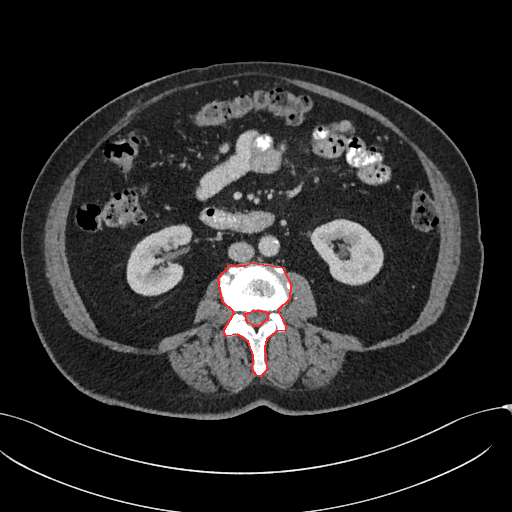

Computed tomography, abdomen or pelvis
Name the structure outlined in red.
red: bones.
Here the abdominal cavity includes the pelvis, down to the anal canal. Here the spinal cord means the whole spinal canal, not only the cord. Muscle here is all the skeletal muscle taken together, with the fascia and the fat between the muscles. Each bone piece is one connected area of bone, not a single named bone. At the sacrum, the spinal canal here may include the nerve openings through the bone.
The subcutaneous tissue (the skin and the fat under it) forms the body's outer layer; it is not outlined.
Outlines (x, y in pixels):
bones: (251, 262) (282, 267) (290, 284) (289, 299) (277, 310) (285, 325) (285, 330) (276, 331) (266, 339) (264, 346) (266, 370) (260, 376) (256, 375) (252, 369) (253, 355) (248, 341) (237, 334) (226, 336) (223, 331) (234, 312) (222, 301) (218, 278) (229, 265) (245, 265), around a hole outlined by (253, 310) (261, 310) (262, 311) (265, 311) (266, 312) (267, 312) (268, 313) (268, 314) (267, 315) (267, 320) (264, 321) (260, 325) (259, 325) (258, 326) (254, 326) (253, 325) (248, 323) (246, 320) (246, 317) (245, 316) (244, 313) (247, 313) (248, 312) (250, 312)
spinal cord: (253, 310) (261, 310) (262, 311) (265, 311) (266, 312) (267, 312) (268, 313) (268, 314) (267, 315) (267, 320) (264, 321) (260, 325) (259, 325) (258, 326) (254, 326) (253, 325) (248, 323) (246, 320) (246, 317) (245, 316) (244, 313) (247, 313) (248, 312) (250, 312)
abdominal cavity: (250, 75) (273, 77) (358, 110) (415, 153) (439, 219) (437, 259) (417, 318) (375, 343) (325, 328) (311, 321) (318, 308) (303, 275) (251, 261) (229, 264) (207, 284) (193, 326) (149, 347) (103, 335) (76, 288) (66, 251) (66, 222) (80, 171) (106, 140) (164, 97)
torso: (248, 60) (300, 63) (357, 77) (411, 104) (454, 141) (476, 180) (484, 246) (481, 285) (469, 328) (433, 374) (390, 395) (345, 409) (288, 415) (262, 405) (223, 419) (190, 419) (102, 403) (62, 375) (30, 318) (19, 232) (31, 186) (65, 135) (109, 100) (175, 71)
muscle: (246, 71) (267, 72) (311, 82) (345, 94) (375, 109) (395, 124) (437, 166) (450, 186) (459, 211) (461, 227) (460, 262) (455, 278) (448, 293) (444, 309) (437, 320) (421, 332) (412, 335) (407, 340) (399, 344) (365, 352) (349, 351) (345, 356) (345, 360) (341, 370) (335, 377) (328, 384) (315, 389) (281, 389) (267, 384) (258, 377) (254, 379) (252, 383) (248, 386) (236, 393) (229, 394) (223, 389) (220, 389) (219, 391) (214, 393) (201, 392) (182, 380) (172, 369) (169, 361) (165, 357) (160, 355) (135, 354) (113, 350) (106, 345) (90, 340) (78, 333) (68, 324) (66, 318) (58, 307) (54, 299) (51, 286) (45, 275) (44, 226) (51, 203) (66, 177) (97, 141) (128, 110) (139, 103) (166, 90) (188, 83) with a hole at (250, 75) (389, 128) (419, 160) (439, 219) (422, 309) (375, 343) (312, 322) (312, 289) (287, 271) (285, 330) (266, 339) (260, 376) (248, 341) (223, 331) (234, 312) (217, 276) (193, 326) (149, 347) (103, 335) (74, 283) (65, 233) (80, 171) (136, 114)